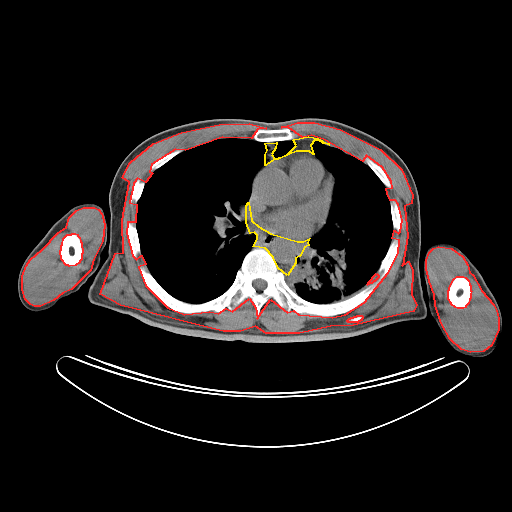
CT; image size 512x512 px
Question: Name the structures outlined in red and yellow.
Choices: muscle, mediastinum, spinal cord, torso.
Answer: red: muscle; yellow: mediastinum.
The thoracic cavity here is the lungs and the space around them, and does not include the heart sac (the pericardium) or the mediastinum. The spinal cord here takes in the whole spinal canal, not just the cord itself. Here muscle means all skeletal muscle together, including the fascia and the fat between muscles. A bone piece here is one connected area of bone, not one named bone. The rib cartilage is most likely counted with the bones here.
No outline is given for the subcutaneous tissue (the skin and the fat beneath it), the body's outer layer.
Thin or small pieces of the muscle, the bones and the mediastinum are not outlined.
{"muscle":[{"outer":[[297,122],[314,122],[340,129],[380,149],[401,169],[412,195],[411,203],[404,206],[407,236],[402,265],[408,261],[412,270],[411,294],[416,305],[413,311],[353,325],[330,326],[299,333],[266,333],[255,326],[240,331],[223,331],[120,305],[100,294],[115,253],[123,252],[122,220],[129,182],[122,177],[130,162],[153,143],[181,132],[219,124],[249,123],[266,128],[257,129],[251,138],[222,137],[185,150],[175,149],[151,164],[149,171],[152,173],[145,182],[137,178],[133,183],[129,202],[136,204],[135,222],[127,222],[126,233],[132,255],[136,259],[141,255],[145,264],[138,267],[145,285],[167,307],[184,314],[209,311],[218,313],[226,308],[232,311],[249,298],[255,307],[257,318],[270,299],[287,312],[293,310],[298,314],[332,317],[345,314],[364,302],[388,272],[398,253],[399,240],[392,238],[394,230],[398,233],[400,231],[402,220],[398,204],[395,200],[390,200],[387,193],[386,188],[392,187],[391,181],[382,167],[366,155],[362,161],[323,139],[311,135],[302,137],[288,127],[281,127]],"hole":[[357,315],[361,315],[362,316],[362,318],[361,319],[361,320],[360,320],[359,321],[358,321],[357,322],[348,322],[347,321],[347,320],[349,318],[350,318],[351,317],[353,317],[354,316],[356,316]]},{"outer":[[438,246],[451,248],[462,256],[467,264],[469,272],[472,274],[481,290],[493,304],[496,310],[498,318],[498,329],[491,345],[483,351],[470,352],[461,349],[450,339],[441,323],[435,305],[434,294],[429,281],[426,268],[426,260],[429,252],[433,248]],"hole":[[457,276],[463,276],[465,277],[468,280],[469,284],[470,285],[470,290],[471,291],[470,293],[470,298],[469,299],[468,303],[465,306],[465,307],[463,308],[457,308],[455,307],[451,304],[451,303],[448,299],[448,290],[449,289],[449,287],[454,278]]},{"outer":[[83,207],[94,207],[98,209],[101,213],[104,224],[102,241],[93,259],[90,270],[71,289],[62,293],[53,300],[40,306],[34,306],[30,304],[25,299],[22,289],[22,276],[26,265],[30,259],[42,249],[58,232],[66,227],[69,217],[76,210]],"hole":[[72,233],[75,233],[77,234],[77,235],[79,237],[80,241],[81,242],[82,253],[81,254],[81,259],[79,261],[79,262],[75,265],[69,266],[68,265],[66,265],[61,259],[60,250],[61,249],[61,245],[62,244],[63,238],[67,234],[71,234]]},[[376,273],[378,275],[378,277],[374,281],[373,281],[371,283],[369,283],[368,284],[367,284],[368,283],[368,282],[372,278],[372,277]]],"mediastinum":[[[248,202],[251,220],[258,226],[270,233],[297,241],[303,241],[309,238],[307,242],[308,245],[304,247],[299,256],[295,258],[295,263],[287,275],[278,268],[273,257],[265,248],[253,246],[257,239],[257,235],[254,232],[250,233],[246,222],[246,205]],[[308,136],[318,138],[329,144],[323,143],[319,140],[314,140],[310,145],[313,154],[309,151],[296,151],[280,158],[274,159],[265,165],[265,154],[267,150],[265,143],[276,142],[275,148],[271,154],[274,158],[275,158],[278,158],[279,157],[287,154],[296,145],[293,140],[294,139]]],"torso":[[[302,117],[332,119],[365,131],[388,145],[405,162],[419,196],[419,268],[428,312],[425,318],[396,322],[368,333],[341,339],[253,343],[173,333],[89,301],[88,289],[108,253],[110,186],[119,165],[135,146],[162,130],[198,120],[243,118],[279,122]]],"pericardium":[[[296,152],[309,152],[312,154],[321,162],[333,179],[331,203],[329,206],[329,210],[325,222],[317,231],[303,240],[297,240],[281,234],[273,233],[260,225],[258,225],[257,223],[252,220],[249,208],[249,202],[252,193],[254,180],[259,172],[270,162]]],"spinal_cord":[[[256,279],[262,279],[263,280],[264,280],[266,282],[266,286],[265,287],[265,288],[264,288],[262,290],[261,290],[260,291],[259,291],[258,290],[257,290],[253,286],[253,281],[254,280],[255,280]]],"bones":[{"outer":[[395,238],[396,256],[371,294],[351,310],[332,316],[287,311],[270,298],[257,317],[249,297],[232,310],[178,312],[152,293],[139,270],[145,266],[173,297],[203,303],[225,292],[245,255],[259,247],[270,254],[297,295],[328,304],[345,300],[374,282]],"hole":[[256,279],[262,279],[263,280],[264,280],[266,282],[266,286],[265,287],[265,288],[264,288],[262,290],[261,290],[260,291],[259,291],[258,290],[257,290],[253,286],[253,281],[254,280],[255,280]]},[[457,276],[463,276],[465,277],[468,280],[469,284],[470,285],[470,290],[471,291],[470,293],[470,298],[469,299],[468,303],[465,306],[465,307],[463,308],[457,308],[455,307],[451,304],[451,303],[448,299],[448,290],[449,289],[449,287],[454,278]],[[72,233],[75,233],[77,234],[77,235],[79,237],[80,241],[81,242],[82,253],[81,254],[81,259],[79,261],[79,262],[75,265],[69,266],[68,265],[66,265],[61,259],[60,250],[61,249],[61,245],[62,244],[63,238],[67,234],[71,234]],[[281,128],[288,128],[290,130],[294,132],[296,132],[298,134],[298,136],[296,138],[294,138],[293,139],[290,139],[289,140],[281,140],[280,141],[271,141],[270,142],[262,142],[261,141],[257,141],[252,138],[253,134],[257,130],[259,129],[280,129]],[[130,221],[135,223],[135,226],[137,231],[137,235],[138,236],[138,240],[139,241],[139,247],[140,248],[140,252],[141,253],[141,254],[139,254],[136,258],[133,255],[131,251],[131,249],[129,245],[129,242],[128,241],[127,225],[128,224],[128,222]],[[365,156],[371,159],[376,164],[377,164],[381,167],[381,168],[384,171],[386,176],[390,181],[390,183],[391,184],[391,187],[390,188],[388,188],[386,187],[380,180],[380,179],[376,175],[376,174],[371,169],[371,168],[363,161],[364,159],[364,157]],[[392,200],[395,201],[395,202],[397,204],[397,206],[398,207],[398,209],[400,213],[400,219],[401,220],[401,224],[400,225],[400,228],[398,232],[395,229],[393,228],[393,223],[392,222],[392,218],[391,217],[391,207],[390,206],[390,201]],[[178,149],[182,149],[182,151],[181,152],[178,153],[176,155],[172,157],[168,161],[167,161],[164,164],[163,164],[152,172],[150,171],[150,167],[152,165],[152,164],[158,158],[166,154],[168,154],[175,150],[177,150]],[[137,179],[140,179],[145,183],[144,184],[144,186],[143,187],[142,192],[141,193],[141,194],[140,195],[137,202],[136,203],[135,202],[130,202],[130,196],[131,195],[131,192],[132,191],[132,189],[133,188],[134,183],[136,181],[136,180]]],"thoracic_cavity":[[[222,138],[252,139],[265,145],[265,163],[252,180],[251,193],[245,205],[245,222],[249,233],[254,233],[256,239],[244,255],[233,281],[225,291],[203,302],[188,302],[170,294],[149,271],[141,252],[136,226],[136,206],[146,182],[154,171],[183,151]],[[314,141],[337,147],[370,168],[385,187],[393,229],[388,248],[375,273],[367,283],[345,299],[328,303],[306,300],[297,294],[285,279],[285,276],[294,267],[296,258],[309,245],[310,238],[317,234],[326,223],[333,201],[335,179],[312,151],[311,145]],[[290,140],[292,140],[294,142],[295,145],[287,153],[286,153],[285,154],[284,154],[281,156],[279,156],[278,157],[274,157],[273,156],[272,153],[273,152],[273,151],[274,151],[276,148],[276,143],[277,142],[280,142],[281,141],[289,141]]],"right_arm":[[[82,203],[95,203],[101,206],[105,215],[105,219],[107,222],[107,237],[106,245],[101,254],[101,263],[95,274],[91,275],[77,291],[63,297],[48,309],[42,311],[31,311],[21,303],[18,296],[17,279],[20,267],[26,256],[49,228],[69,209]]],"left_arm":[[[439,242],[449,243],[458,247],[469,258],[482,275],[498,303],[502,317],[502,327],[495,348],[491,353],[486,356],[471,357],[456,351],[447,342],[436,322],[428,311],[426,302],[428,300],[428,297],[425,281],[423,278],[423,260],[428,247],[432,244]]]}